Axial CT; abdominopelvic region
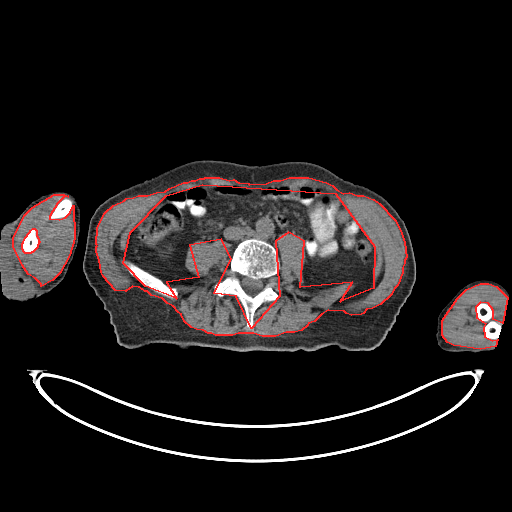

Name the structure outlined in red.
red: muscle.
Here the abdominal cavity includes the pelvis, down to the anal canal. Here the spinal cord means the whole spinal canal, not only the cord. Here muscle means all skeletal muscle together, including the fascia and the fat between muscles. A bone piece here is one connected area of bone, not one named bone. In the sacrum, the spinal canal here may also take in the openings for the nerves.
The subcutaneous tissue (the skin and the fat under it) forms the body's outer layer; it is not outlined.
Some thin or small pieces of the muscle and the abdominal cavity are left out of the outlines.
Outlines (x, y in pixels):
muscle 1: [[205,177],[219,177],[229,180],[233,179],[238,182],[248,183],[249,184],[266,183],[273,180],[280,180],[289,177],[308,177],[326,182],[332,185],[336,189],[343,193],[349,192],[357,195],[363,195],[373,199],[379,203],[394,219],[400,230],[404,242],[406,257],[404,260],[404,263],[402,267],[402,272],[397,285],[394,288],[390,295],[380,304],[372,308],[366,309],[363,313],[361,314],[351,315],[346,313],[344,311],[328,310],[321,314],[314,321],[308,323],[307,325],[301,330],[294,332],[286,332],[275,336],[262,336],[253,333],[238,333],[232,335],[215,335],[211,333],[208,333],[203,330],[196,329],[191,327],[184,321],[181,314],[178,312],[173,306],[167,303],[162,298],[151,295],[147,291],[145,291],[139,287],[132,286],[125,291],[115,290],[103,276],[101,272],[99,260],[96,251],[96,246],[97,245],[96,244],[97,227],[105,212],[113,205],[124,200],[126,198],[133,197],[138,195],[147,195],[156,192],[165,191],[169,188],[183,182],[187,182],[191,180],[195,180],[199,178],[204,178]]; inner edge: [[202,184],[335,193],[374,246],[373,288],[340,301],[352,282],[300,287],[304,241],[288,232],[275,241],[279,296],[251,328],[236,296],[214,293],[231,258],[221,239],[189,245],[198,277],[166,282],[176,298],[145,286],[123,263],[130,232],[166,195]]
muscle 2: [[54,194],[64,194],[68,196],[63,197],[57,203],[49,216],[49,218],[59,219],[65,217],[70,212],[73,205],[74,238],[69,255],[59,273],[52,280],[41,286],[41,284],[35,278],[28,274],[22,265],[13,246],[13,237],[25,214],[32,207]] with a hole at [[33,228],[34,228],[36,230],[36,235],[38,238],[38,240],[39,241],[39,242],[37,245],[37,247],[32,252],[31,252],[30,253],[25,253],[23,251],[23,250],[22,249],[22,243],[23,242],[25,237],[27,235],[27,234],[30,231],[30,230]]
muscle 3: [[480,283],[488,283],[496,286],[507,297],[502,323],[493,319],[493,310],[488,303],[480,302],[475,307],[476,317],[485,323],[483,327],[484,336],[492,340],[497,339],[495,346],[480,349],[453,345],[447,342],[442,335],[442,320],[457,298],[466,289]]
spinal cord: [[244,276],[245,276],[246,277],[248,277],[249,278],[250,278],[251,279],[253,279],[254,280],[258,280],[259,279],[261,279],[263,282],[263,287],[257,293],[256,293],[254,295],[251,295],[250,294],[247,293],[244,290],[244,289],[241,285],[241,278]]
torso: [[196,159],[248,165],[310,161],[371,188],[394,207],[411,239],[416,278],[395,322],[377,347],[359,351],[335,345],[312,351],[236,351],[201,346],[182,349],[168,343],[131,349],[118,343],[109,314],[88,284],[82,269],[89,220],[103,201],[120,190]]
abdominal cavity: [[202,184],[308,185],[335,193],[374,246],[373,288],[340,301],[352,282],[316,292],[300,287],[304,241],[288,232],[277,236],[275,247],[243,239],[230,257],[221,239],[194,241],[184,265],[198,277],[187,283],[142,268],[126,258],[130,232],[166,195]]
bones 1: [[251,238],[263,240],[275,248],[280,266],[272,281],[273,288],[280,290],[277,292],[279,296],[276,300],[264,302],[254,311],[253,326],[248,328],[245,311],[238,298],[231,294],[222,296],[215,294],[214,285],[227,275],[235,247],[243,240]] with a hole at [[244,276],[245,276],[246,277],[248,277],[249,278],[250,278],[251,279],[253,279],[254,280],[258,280],[259,279],[261,279],[263,282],[263,287],[257,293],[256,293],[254,295],[251,295],[250,294],[247,293],[244,290],[244,289],[241,285],[241,278]]
bones 2: [[124,260],[128,260],[134,263],[142,269],[152,274],[154,276],[159,278],[167,285],[171,287],[174,287],[176,289],[178,293],[177,297],[174,299],[169,298],[145,286],[139,280],[138,280],[130,274],[130,273],[127,270],[125,265],[123,263],[123,261]]
bones 3: [[480,303],[486,303],[488,304],[492,310],[492,319],[496,322],[501,324],[501,329],[500,330],[499,335],[498,337],[495,339],[488,338],[486,337],[484,334],[484,327],[486,323],[484,321],[481,321],[477,317],[477,315],[476,314],[476,307]]
bones 4: [[65,197],[70,197],[73,200],[73,204],[72,205],[72,207],[69,211],[69,212],[65,216],[64,216],[63,217],[60,217],[59,218],[50,218],[50,216],[52,214],[53,211],[55,209],[55,208],[58,204],[58,203],[63,198],[64,198]]
bones 5: [[33,228],[34,228],[36,230],[36,235],[38,238],[38,240],[39,241],[39,242],[37,245],[37,247],[32,252],[31,252],[30,253],[25,253],[23,251],[23,250],[22,249],[22,243],[23,242],[25,237],[27,235],[27,234],[30,231],[30,230]]
left arm: [[478,279],[489,279],[493,280],[501,284],[508,292],[505,313],[503,321],[501,324],[501,329],[497,338],[495,346],[491,351],[487,352],[477,352],[476,353],[472,352],[447,352],[443,350],[438,345],[436,341],[437,317],[444,306],[463,286],[474,280]]
right arm: [[54,190],[63,190],[72,194],[76,198],[80,208],[80,233],[73,259],[63,280],[49,292],[41,295],[39,297],[28,299],[25,301],[8,299],[3,294],[2,274],[0,271],[0,238],[3,225],[6,222],[11,221],[16,218],[31,201],[41,195]]